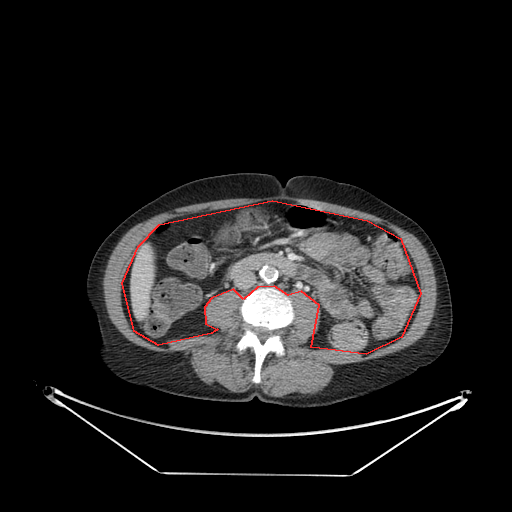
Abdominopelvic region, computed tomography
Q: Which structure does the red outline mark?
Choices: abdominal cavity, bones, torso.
A: red: abdominal cavity.
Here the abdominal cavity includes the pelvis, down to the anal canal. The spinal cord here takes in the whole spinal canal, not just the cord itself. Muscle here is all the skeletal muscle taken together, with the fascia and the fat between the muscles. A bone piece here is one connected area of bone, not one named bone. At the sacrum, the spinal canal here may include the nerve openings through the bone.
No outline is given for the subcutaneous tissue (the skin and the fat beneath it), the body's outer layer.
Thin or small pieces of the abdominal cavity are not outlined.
{"abdominal_cavity":[[[272,200],[367,220],[400,238],[420,293],[401,337],[366,354],[311,347],[319,305],[301,291],[288,295],[274,286],[257,287],[243,299],[233,289],[211,298],[204,307],[205,323],[217,329],[211,333],[158,345],[134,331],[122,283],[138,246],[159,224]]],"muscle":[{"outer":[[279,195],[286,195],[291,197],[319,200],[363,211],[387,220],[389,222],[413,234],[421,242],[428,253],[434,269],[434,274],[436,279],[436,291],[437,292],[434,315],[424,335],[421,338],[418,339],[413,344],[401,350],[396,351],[390,354],[387,354],[381,357],[369,360],[365,360],[360,362],[353,362],[352,363],[338,365],[335,370],[331,381],[322,390],[314,394],[304,394],[301,395],[299,393],[290,393],[281,397],[275,397],[274,396],[270,396],[264,393],[257,387],[252,387],[243,392],[232,392],[217,383],[209,385],[203,382],[196,375],[193,371],[193,369],[188,363],[181,363],[183,359],[181,354],[179,352],[158,352],[136,345],[127,339],[112,323],[108,316],[104,300],[103,277],[107,265],[107,262],[112,251],[123,235],[130,228],[136,224],[142,222],[157,214],[171,210],[177,207],[181,207],[195,203],[201,203],[202,202],[220,200],[221,199],[229,199],[230,198],[259,198],[260,197],[270,197],[271,196],[278,196]],"hole":[[272,200],[367,220],[400,238],[420,293],[401,337],[366,354],[311,347],[321,310],[294,289],[294,317],[281,330],[285,354],[270,351],[254,383],[254,351],[236,348],[243,296],[233,289],[204,307],[214,332],[158,345],[134,331],[122,283],[159,224]]}],"spinal_cord":[[[258,327],[263,327],[266,330],[268,330],[272,333],[272,334],[270,336],[269,336],[265,340],[265,341],[264,341],[263,342],[261,342],[260,341],[260,340],[258,338],[258,337],[256,335],[256,334],[254,331],[254,330]]],"bones":[{"outer":[[261,287],[274,287],[285,293],[291,300],[294,317],[292,322],[281,330],[281,340],[285,354],[277,356],[270,351],[261,365],[261,380],[259,383],[254,383],[252,381],[255,365],[254,351],[248,347],[239,353],[236,344],[243,333],[240,305],[251,291]],"hole":[[258,327],[263,327],[266,330],[268,330],[272,333],[272,334],[270,336],[269,336],[265,340],[265,341],[264,341],[263,342],[261,342],[260,341],[260,340],[258,338],[258,337],[256,335],[256,334],[254,331],[254,330]]}],"torso":[[[237,172],[272,174],[283,184],[304,174],[353,184],[418,223],[437,249],[448,278],[453,323],[442,354],[370,393],[307,408],[256,397],[227,402],[179,396],[126,382],[112,373],[98,354],[98,324],[86,297],[96,250],[124,219],[164,192],[198,178]]]}